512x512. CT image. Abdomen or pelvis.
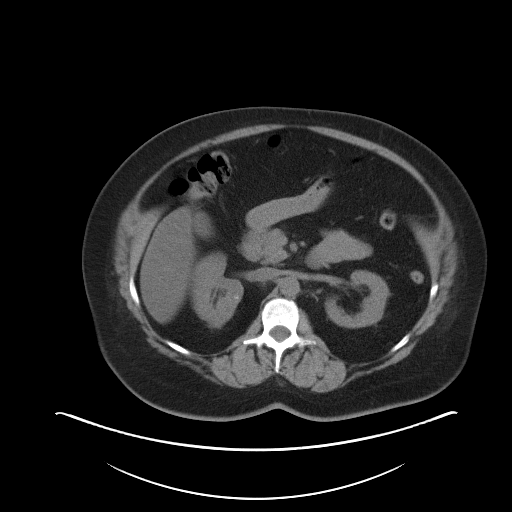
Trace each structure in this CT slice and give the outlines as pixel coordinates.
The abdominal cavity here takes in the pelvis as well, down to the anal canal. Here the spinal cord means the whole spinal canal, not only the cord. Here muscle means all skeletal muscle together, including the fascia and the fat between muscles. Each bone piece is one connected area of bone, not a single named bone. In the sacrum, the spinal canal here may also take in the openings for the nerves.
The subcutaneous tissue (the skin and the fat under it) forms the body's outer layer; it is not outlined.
{"bones":[{"outer":[[276,297],[295,302],[299,309],[296,332],[299,336],[316,342],[301,347],[296,344],[285,349],[281,355],[278,373],[274,371],[275,352],[272,348],[264,344],[258,347],[253,343],[243,344],[242,342],[244,339],[261,333],[263,329],[262,308],[268,300]],"hole":[[276,326],[282,326],[283,327],[284,327],[285,328],[286,328],[289,331],[289,335],[287,337],[286,337],[284,339],[283,339],[281,341],[278,341],[277,340],[276,340],[270,334],[270,331],[274,327],[275,327]]},[[132,274],[134,277],[134,282],[135,283],[135,287],[136,288],[136,290],[137,291],[137,294],[138,295],[138,297],[139,298],[139,301],[140,302],[140,304],[139,306],[137,306],[135,304],[134,301],[131,297],[131,295],[129,291],[129,277]],[[166,339],[167,339],[168,340],[170,340],[171,341],[182,346],[184,348],[189,350],[191,353],[190,354],[190,355],[186,355],[185,354],[184,354],[183,353],[181,353],[180,352],[177,351],[175,349],[172,348],[170,346],[169,346],[165,342],[165,340]],[[408,332],[409,332],[409,333],[410,334],[409,335],[409,338],[408,339],[408,341],[404,345],[403,345],[401,347],[400,347],[395,351],[393,351],[392,352],[389,351],[389,350],[395,344],[396,344],[403,337],[403,336],[406,333],[407,333]],[[434,281],[437,283],[437,285],[438,286],[438,287],[437,288],[437,291],[436,292],[436,294],[435,295],[434,298],[432,300],[432,301],[431,302],[429,302],[429,293],[430,292],[430,288],[431,287],[431,284],[432,283],[432,282],[433,282]]],"muscle":[{"outer":[[269,123],[296,123],[305,125],[317,125],[318,126],[330,127],[365,138],[390,149],[408,161],[423,176],[426,182],[434,191],[438,199],[444,207],[445,211],[451,220],[454,228],[454,239],[457,243],[457,250],[458,251],[457,269],[454,275],[453,284],[449,291],[450,297],[444,305],[442,312],[436,318],[435,322],[420,336],[420,339],[411,352],[403,359],[382,369],[376,370],[371,373],[359,376],[350,381],[344,386],[328,392],[319,393],[318,392],[312,392],[307,390],[303,390],[292,384],[283,376],[277,374],[276,375],[272,375],[253,388],[248,388],[247,389],[227,389],[218,386],[186,365],[178,363],[171,358],[158,352],[155,348],[152,347],[146,340],[146,334],[141,328],[138,321],[127,308],[125,300],[120,295],[118,290],[118,277],[114,270],[114,266],[113,265],[113,253],[114,252],[113,245],[114,244],[115,231],[119,217],[122,211],[134,197],[141,185],[157,169],[169,159],[186,148],[200,141],[208,138],[212,138],[219,134],[237,128],[251,126],[257,124],[268,124]],"hole":[[284,128],[309,130],[373,151],[411,174],[431,198],[435,224],[427,226],[412,218],[408,226],[422,248],[430,280],[438,287],[408,331],[408,341],[395,351],[347,361],[331,351],[300,309],[296,332],[316,343],[285,349],[278,373],[272,348],[242,342],[261,333],[260,312],[224,348],[211,353],[191,350],[186,355],[165,342],[131,297],[129,277],[136,276],[164,212],[160,206],[140,207],[154,181],[174,163],[204,148]]}],"torso":[[[258,105],[340,110],[390,123],[435,151],[467,189],[486,236],[487,275],[468,360],[439,393],[412,404],[335,421],[309,420],[279,408],[243,419],[207,421],[173,415],[145,403],[105,362],[81,271],[84,228],[98,192],[120,163],[159,131],[196,115]]],"spinal_cord":[[[276,326],[282,326],[283,327],[284,327],[285,328],[286,328],[289,331],[289,335],[287,337],[286,337],[284,339],[283,339],[281,341],[278,341],[277,340],[276,340],[270,334],[270,331],[274,327],[275,327]]],"abdominal_cavity":[[[284,128],[375,152],[411,174],[435,207],[433,226],[408,222],[429,268],[427,305],[373,359],[347,361],[332,352],[306,312],[283,296],[268,299],[243,333],[211,353],[162,336],[141,305],[136,271],[164,212],[160,206],[141,209],[148,188],[204,148]]]}